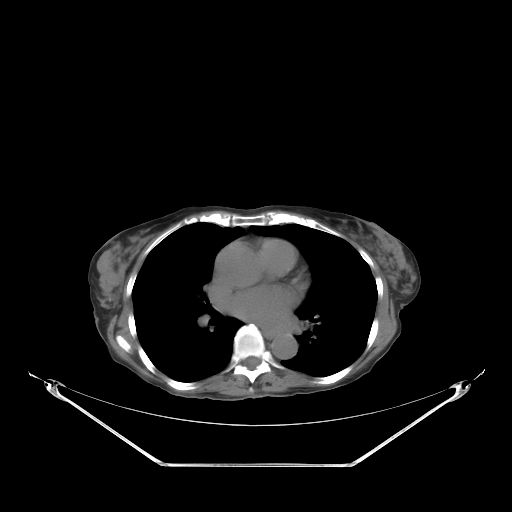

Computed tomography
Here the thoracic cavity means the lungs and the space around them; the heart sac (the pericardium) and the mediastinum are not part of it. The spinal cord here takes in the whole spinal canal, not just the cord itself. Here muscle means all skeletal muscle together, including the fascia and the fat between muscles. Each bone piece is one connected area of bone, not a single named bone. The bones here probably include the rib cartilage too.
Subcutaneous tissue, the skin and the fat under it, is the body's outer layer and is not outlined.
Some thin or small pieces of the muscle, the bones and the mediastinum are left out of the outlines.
{"mediastinum":[[[214,306],[230,316],[249,320],[271,320],[289,314],[295,310],[295,338],[299,343],[297,353],[289,359],[283,359],[279,362],[277,361],[272,353],[266,348],[264,338],[260,330],[254,323],[250,322],[243,324],[241,321],[234,317],[223,315]]],"bones":[[[267,211],[287,212],[312,218],[337,231],[343,235],[344,238],[297,223],[230,227],[213,222],[198,221],[186,224],[170,233],[154,246],[145,257],[143,256],[144,251],[155,238],[184,218],[193,216],[197,217],[202,214],[208,215],[213,212],[257,215]],{"outer":[[250,323],[254,324],[259,330],[263,338],[265,348],[271,353],[273,358],[284,367],[283,369],[272,367],[271,371],[261,373],[256,377],[252,383],[243,374],[234,375],[231,370],[227,372],[223,371],[230,362],[233,352],[233,339],[237,330],[241,326]],"hole":[[249,356],[254,356],[255,357],[257,357],[260,360],[260,361],[259,362],[259,363],[253,369],[250,369],[249,368],[248,368],[245,365],[244,365],[243,364],[243,361],[247,357],[248,357]]},[[352,363],[353,364],[353,367],[352,369],[344,377],[343,377],[341,379],[340,379],[338,381],[334,383],[332,383],[331,384],[317,384],[316,383],[314,383],[312,381],[314,377],[324,377],[328,375],[331,375],[347,367]],[[166,376],[167,376],[174,380],[176,380],[177,381],[180,381],[181,382],[197,382],[198,383],[198,386],[196,388],[195,388],[194,389],[190,389],[189,390],[177,390],[176,389],[174,389],[172,387],[169,386],[166,383],[166,382],[164,379],[164,378]],[[375,317],[376,317],[378,319],[378,329],[377,330],[377,333],[376,334],[376,336],[370,348],[366,352],[365,352],[364,350],[366,346],[367,339],[368,338],[368,336],[370,332],[370,329],[371,328],[371,325],[372,324],[373,319]],[[140,344],[140,345],[144,350],[145,353],[147,355],[147,356],[149,358],[149,359],[155,366],[155,367],[156,368],[156,372],[155,373],[153,373],[152,372],[151,372],[145,366],[145,365],[141,360],[141,359],[138,354],[138,345],[139,345]],[[135,271],[137,272],[137,275],[136,276],[135,281],[132,287],[132,290],[131,291],[131,295],[129,297],[128,297],[126,296],[126,294],[125,293],[126,292],[126,285],[127,284],[127,282],[128,281],[128,279],[129,277],[131,275],[131,274]],[[130,312],[133,312],[133,316],[134,317],[134,321],[135,322],[135,329],[136,330],[136,334],[137,335],[137,336],[135,338],[134,338],[131,335],[131,334],[130,333],[130,331],[129,330],[129,326],[128,325],[128,315],[129,314],[129,313]],[[116,335],[120,335],[121,336],[122,336],[127,341],[127,342],[130,345],[130,352],[128,352],[127,351],[126,351],[124,349],[123,349],[118,344],[118,343],[117,342],[117,341],[116,340]],[[376,276],[379,276],[381,278],[381,280],[382,281],[382,284],[383,285],[383,294],[382,295],[382,297],[380,299],[378,299],[378,295],[377,294],[377,286],[376,285],[376,283],[375,282],[375,277]],[[359,248],[361,248],[362,249],[363,249],[369,255],[369,256],[371,258],[371,259],[372,260],[372,261],[373,262],[373,264],[374,265],[374,268],[371,268],[370,267],[370,266],[364,260],[364,259],[361,256],[361,255],[359,253],[359,252],[357,250]]],"muscle":[[[272,368],[287,368],[301,372],[313,376],[311,381],[314,384],[326,385],[285,391],[259,391],[244,395],[227,395],[214,391],[177,391],[194,390],[199,386],[197,381],[222,371],[231,371],[234,376],[243,375],[252,384],[258,376],[271,372]],{"outer":[[221,210],[224,212],[219,211],[213,211],[212,212],[208,214],[205,214],[202,213],[201,214],[197,216],[184,217],[155,237],[142,253],[144,259],[139,270],[135,270],[130,274],[125,285],[125,296],[131,297],[132,301],[132,311],[127,315],[127,325],[130,335],[134,339],[137,337],[139,341],[137,354],[151,373],[155,374],[157,369],[166,375],[163,379],[167,386],[141,373],[121,358],[108,340],[107,326],[121,304],[125,281],[147,242],[171,223],[185,216],[200,212]],"hole":[[116,335],[120,335],[121,336],[122,336],[127,341],[127,342],[130,345],[130,352],[128,352],[127,351],[126,351],[124,349],[123,349],[118,344],[118,343],[117,342],[117,341],[116,340]]},[[321,222],[339,229],[358,241],[379,263],[380,268],[386,279],[388,290],[393,300],[397,322],[396,330],[387,344],[362,368],[343,379],[353,369],[354,361],[362,352],[363,351],[366,353],[371,348],[377,336],[379,329],[379,319],[375,316],[375,310],[377,301],[383,297],[384,285],[382,278],[379,275],[376,275],[374,277],[372,273],[371,269],[374,269],[375,265],[370,255],[361,247],[356,249],[345,239],[343,234]]],"spinal_cord":[[[249,356],[254,356],[255,357],[257,357],[260,360],[260,361],[259,362],[259,363],[253,369],[250,369],[249,368],[248,368],[245,365],[244,365],[243,364],[243,361],[247,357],[248,357]]],"torso":[[[269,204],[314,206],[373,221],[403,241],[413,252],[421,275],[419,291],[400,312],[400,335],[368,373],[346,385],[325,391],[226,401],[172,395],[144,381],[109,357],[95,326],[87,280],[90,260],[106,240],[125,228],[186,206],[226,205],[255,208]]],"pericardium":[[[246,235],[260,235],[283,238],[291,242],[301,252],[301,255],[309,266],[309,270],[311,272],[312,277],[312,283],[305,299],[293,311],[271,319],[249,319],[230,315],[222,311],[212,303],[206,288],[212,278],[214,260],[216,255],[224,246],[237,238]]],"thoracic_cavity":[[[198,222],[230,228],[241,227],[243,230],[241,235],[217,252],[210,279],[203,285],[203,290],[214,308],[223,316],[234,318],[242,325],[233,336],[230,359],[223,370],[196,381],[181,381],[158,369],[141,345],[131,296],[138,272],[151,250],[180,228]],[[283,224],[297,224],[344,239],[369,266],[374,278],[377,300],[364,349],[353,362],[331,374],[314,376],[280,363],[298,353],[300,343],[296,338],[295,312],[305,301],[313,283],[313,276],[306,258],[291,241],[283,237],[261,235],[252,230],[251,226]]]}